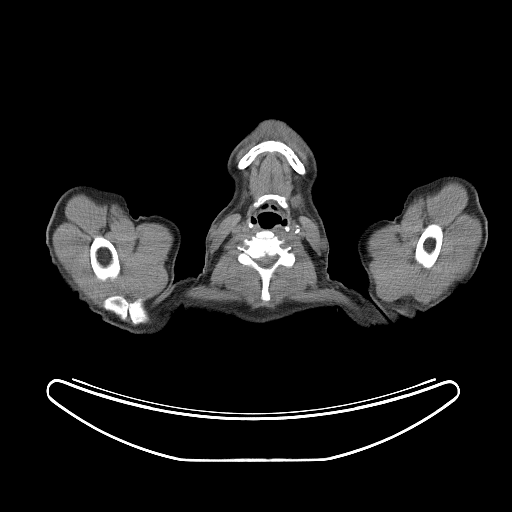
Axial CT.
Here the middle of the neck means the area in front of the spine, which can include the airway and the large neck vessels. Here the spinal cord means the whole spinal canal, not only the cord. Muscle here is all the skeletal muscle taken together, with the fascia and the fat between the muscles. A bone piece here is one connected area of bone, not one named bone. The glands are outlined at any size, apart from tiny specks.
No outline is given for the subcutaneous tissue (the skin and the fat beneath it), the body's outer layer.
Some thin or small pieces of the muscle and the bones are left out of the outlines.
{"head_and_neck":[[[268,118],[280,119],[289,124],[305,139],[315,155],[318,174],[312,194],[329,242],[328,272],[308,290],[285,304],[265,311],[249,311],[230,299],[211,275],[204,262],[204,243],[210,223],[228,203],[234,190],[233,182],[226,171],[231,150],[260,121]]],"right_arm":[[[78,184],[87,184],[121,194],[125,198],[129,211],[134,218],[140,215],[159,214],[177,224],[181,232],[181,243],[175,260],[174,281],[162,295],[144,302],[105,298],[85,305],[69,292],[50,262],[45,243],[45,231],[58,198],[68,188]]],"muscle":[{"outer":[[277,127],[283,128],[297,138],[307,151],[309,172],[303,195],[294,194],[291,204],[298,207],[304,197],[305,206],[324,239],[326,253],[319,264],[319,279],[326,286],[333,287],[352,299],[360,307],[359,311],[335,302],[286,301],[274,308],[251,308],[244,302],[203,302],[182,295],[185,289],[203,283],[208,278],[212,268],[209,235],[215,224],[240,198],[242,186],[235,170],[236,154],[246,141],[255,136],[273,133]],"holes":[[[265,194],[286,198],[289,230],[271,230],[280,239],[285,239],[295,257],[292,266],[279,265],[273,272],[268,286],[268,301],[261,299],[262,281],[258,272],[237,258],[240,252],[237,247],[243,240],[250,239],[262,229],[258,225],[248,225],[253,203]],[[264,140],[278,140],[285,143],[293,150],[294,153],[303,164],[306,170],[306,172],[304,174],[300,174],[295,171],[290,165],[285,156],[277,151],[264,151],[261,152],[258,154],[246,167],[243,169],[238,169],[237,168],[237,163],[239,160],[253,146]]]},{"outer":[[450,180],[458,181],[467,189],[469,211],[477,216],[481,224],[480,242],[469,271],[445,292],[427,303],[411,298],[399,299],[393,303],[384,302],[376,294],[370,272],[371,258],[366,250],[368,237],[373,231],[383,226],[399,223],[414,197],[436,191]],"hole":[[432,223],[438,224],[441,227],[443,235],[442,236],[441,247],[440,248],[438,256],[434,264],[430,268],[425,268],[415,260],[414,258],[414,254],[415,253],[415,249],[416,248],[417,242],[422,232],[424,230],[426,226]]},{"outer":[[80,192],[97,202],[119,204],[135,225],[156,222],[172,232],[174,241],[165,262],[167,286],[151,305],[155,317],[151,322],[145,323],[150,317],[143,297],[129,301],[113,294],[103,300],[102,308],[93,304],[58,261],[53,233],[65,218],[67,200]],"hole":[[99,235],[101,235],[106,239],[109,240],[113,244],[117,252],[117,255],[119,260],[119,264],[120,265],[120,271],[117,277],[112,280],[109,278],[106,279],[104,281],[102,281],[98,279],[96,277],[91,265],[91,260],[90,259],[90,246],[94,237]]}],"left_arm":[[[445,174],[463,175],[476,187],[481,206],[487,217],[487,244],[474,275],[465,286],[437,305],[419,312],[413,319],[403,319],[395,324],[376,307],[367,291],[367,276],[358,256],[357,241],[362,231],[372,222],[379,219],[392,220],[399,214],[412,188]]],"torso":[[[204,263],[223,293],[245,311],[265,312],[285,305],[328,273],[368,294],[375,307],[394,324],[363,329],[341,310],[332,308],[261,324],[181,309],[169,325],[155,334],[130,333],[103,321],[87,305],[105,299],[148,302],[162,296],[175,280],[197,275]]],"parotid_glands":[[[294,195],[302,195],[303,196],[303,200],[302,201],[302,202],[298,206],[294,206],[292,204],[292,197]]],"bones":[{"outer":[[262,229],[269,229],[280,239],[284,238],[291,247],[295,257],[292,266],[279,265],[273,272],[268,286],[270,295],[268,301],[261,299],[262,281],[258,272],[251,266],[240,263],[237,258],[240,252],[237,247],[243,243],[243,240],[245,238],[250,239]],"hole":[[266,255],[268,255],[269,256],[274,256],[275,255],[276,255],[277,256],[277,258],[275,260],[275,261],[271,265],[271,266],[270,266],[269,267],[262,267],[261,266],[260,266],[255,261],[255,259],[257,259],[258,258],[260,258],[261,257],[263,257]]},[[99,235],[101,235],[106,239],[109,240],[113,244],[117,252],[117,255],[119,260],[119,264],[120,265],[120,271],[117,277],[112,280],[109,278],[106,279],[104,281],[102,281],[98,279],[96,277],[91,265],[91,260],[90,259],[90,246],[94,237]],[[432,223],[438,224],[441,227],[443,235],[442,236],[441,247],[440,248],[438,256],[434,264],[430,268],[425,268],[415,260],[414,258],[414,254],[415,253],[415,249],[416,248],[417,242],[422,232],[424,230],[426,226]],[[264,140],[278,140],[285,143],[293,150],[294,153],[303,164],[306,170],[306,172],[304,174],[300,174],[295,171],[290,165],[285,156],[277,151],[264,151],[261,152],[258,154],[246,167],[243,169],[238,169],[237,168],[237,163],[239,160],[253,146]],[[113,295],[120,295],[124,297],[129,302],[132,302],[139,298],[143,298],[144,299],[144,306],[149,317],[148,320],[144,323],[133,324],[131,319],[129,317],[127,317],[125,320],[122,320],[113,312],[104,309],[103,308],[103,302],[104,300],[107,297]],[[265,194],[277,194],[278,195],[285,197],[286,198],[286,202],[288,205],[288,208],[286,209],[282,207],[278,203],[278,202],[274,199],[268,199],[263,203],[260,204],[257,207],[253,207],[252,205],[256,200],[256,199],[259,196],[261,196]]],"spinal_cord":[[[266,255],[268,255],[269,256],[274,256],[275,255],[276,255],[277,256],[277,258],[275,260],[275,261],[271,265],[271,266],[270,266],[269,267],[262,267],[261,266],[260,266],[255,261],[255,259],[257,259],[258,258],[260,258],[261,257],[263,257]]],"middle_of_the_neck":[[[268,200],[274,200],[277,202],[277,203],[282,208],[286,210],[287,212],[287,217],[288,218],[288,223],[284,227],[284,229],[282,228],[281,229],[261,228],[258,225],[253,226],[253,225],[249,222],[249,216],[252,208],[257,208],[260,205],[263,204]]]}